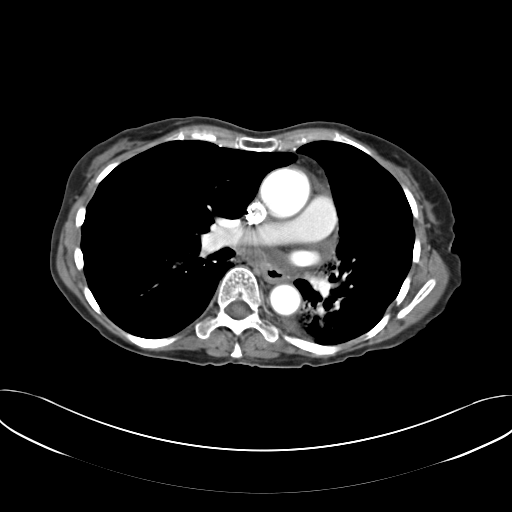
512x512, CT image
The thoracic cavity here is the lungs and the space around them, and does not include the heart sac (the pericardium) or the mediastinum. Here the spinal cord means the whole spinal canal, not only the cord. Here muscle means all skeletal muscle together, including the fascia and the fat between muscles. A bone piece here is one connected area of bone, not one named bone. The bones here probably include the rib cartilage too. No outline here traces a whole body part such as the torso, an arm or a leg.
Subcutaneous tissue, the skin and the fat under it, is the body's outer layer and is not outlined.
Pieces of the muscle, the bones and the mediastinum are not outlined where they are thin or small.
The muscle appears in 4 outlined pieces: piece 1: [[305,128],[331,128],[343,132],[373,148],[382,157],[394,163],[397,169],[403,171],[405,175],[414,182],[419,193],[424,208],[423,212],[424,221],[426,223],[427,240],[431,247],[438,252],[450,272],[447,286],[441,297],[432,309],[419,321],[386,340],[336,355],[333,355],[342,349],[343,343],[356,338],[365,341],[381,331],[391,317],[391,314],[386,311],[388,307],[392,302],[396,306],[400,305],[407,295],[411,283],[411,276],[408,273],[412,263],[417,264],[420,261],[421,254],[421,241],[415,234],[413,225],[414,219],[416,220],[419,217],[418,204],[409,188],[402,183],[400,184],[396,178],[376,160],[377,157],[369,148],[337,130],[315,130],[282,138],[274,136]]; inner edge: [[430,278],[434,278],[436,280],[436,283],[430,292],[422,300],[416,304],[414,307],[407,314],[405,315],[404,317],[402,318],[397,318],[396,317],[397,313],[402,308],[406,306],[412,300],[420,288]]; piece 2: [[199,124],[218,126],[245,135],[233,135],[225,131],[214,131],[210,129],[199,129],[194,127],[181,129],[165,136],[160,140],[153,142],[149,147],[121,162],[119,160],[115,160],[108,163],[95,177],[94,183],[96,187],[88,203],[86,206],[80,205],[75,213],[74,225],[76,228],[80,228],[81,236],[79,245],[74,247],[73,260],[76,268],[79,271],[83,270],[85,276],[87,284],[85,284],[82,287],[82,293],[91,308],[99,315],[105,314],[117,326],[128,342],[110,332],[97,321],[60,278],[55,263],[60,233],[68,217],[72,205],[78,200],[80,195],[83,193],[95,170],[102,164],[123,153],[129,148],[143,144],[147,141],[151,141],[180,127]]; piece 3: [[192,323],[195,335],[202,340],[218,327],[228,328],[236,337],[253,328],[269,343],[281,337],[289,344],[313,353],[317,356],[331,356],[322,358],[284,354],[267,359],[242,357],[237,340],[229,354],[231,357],[217,357],[196,350],[148,350],[173,343],[179,338],[177,333]]; piece 4: [[271,317],[273,318],[273,319],[275,320],[275,321],[277,322],[277,323],[280,326],[281,326],[282,328],[287,330],[287,331],[289,332],[289,333],[287,333],[286,332],[282,332],[282,330],[280,328],[280,327],[278,326],[270,318]]. The mediastinum appears in 2 outlined pieces: piece 1: [[244,215],[241,224],[247,236],[267,254],[269,259],[283,273],[290,275],[317,272],[304,278],[297,278],[293,282],[303,299],[294,314],[272,317],[262,295],[258,280],[253,272],[246,266],[233,266],[231,262],[228,262],[234,254],[230,244],[236,222]]; piece 2: [[294,147],[296,147],[296,151],[298,153],[304,154],[313,158],[324,170],[329,184],[331,196],[337,214],[335,214],[330,192],[326,183],[322,181],[315,172],[304,165],[301,164],[289,165],[293,163],[296,160],[296,157],[293,153],[290,151],[288,151]]. The pericardium is outlined by [[293,165],[301,165],[308,168],[325,183],[334,214],[339,216],[340,219],[337,223],[333,251],[329,259],[321,265],[320,269],[307,273],[287,274],[283,272],[270,259],[268,254],[248,236],[242,221],[248,213],[249,206],[256,199],[266,176],[274,170]]. The bones appear in 10 outlined pieces: piece 1: [[235,266],[246,267],[255,276],[271,314],[269,318],[282,333],[320,345],[341,344],[341,349],[332,355],[317,355],[281,336],[269,342],[253,327],[236,336],[228,327],[218,326],[207,338],[199,338],[194,323],[212,313],[208,307],[218,285],[226,272]]; inner edge: [[237,300],[240,300],[244,302],[248,306],[250,310],[250,312],[246,316],[242,318],[240,318],[239,319],[237,319],[236,318],[234,318],[232,317],[230,315],[229,315],[226,312],[225,310],[226,307],[230,303],[234,301],[236,301]]; piece 2: [[194,128],[214,132],[225,132],[233,136],[250,136],[257,138],[273,136],[278,139],[315,131],[337,131],[369,149],[376,159],[353,145],[327,139],[313,140],[285,151],[246,150],[224,146],[220,142],[216,144],[201,139],[176,139],[152,145],[181,130]]; piece 3: [[119,328],[132,335],[134,335],[138,337],[141,337],[142,338],[147,338],[148,339],[157,339],[158,338],[169,337],[175,334],[178,336],[178,338],[173,342],[167,345],[160,346],[156,348],[141,348],[135,345],[133,343],[130,342],[123,335],[121,330]]; piece 4: [[430,278],[434,278],[436,280],[436,283],[430,292],[422,300],[416,304],[414,307],[407,314],[405,315],[404,317],[402,318],[397,318],[396,317],[397,313],[402,308],[406,306],[412,300],[420,288]]; piece 5: [[386,312],[387,312],[390,314],[390,317],[389,318],[387,323],[381,330],[380,330],[375,335],[374,335],[372,337],[371,337],[368,339],[366,339],[365,340],[362,340],[358,337],[359,337],[361,335],[364,334],[370,329],[371,329],[382,318],[382,317]]; piece 6: [[401,184],[406,186],[408,188],[408,189],[413,195],[416,201],[416,203],[417,204],[417,211],[418,212],[418,217],[416,219],[415,219],[413,217],[413,215],[412,214],[412,211],[411,210],[410,205],[405,195],[405,193],[401,186]]; piece 7: [[408,274],[410,276],[410,283],[409,284],[409,288],[408,289],[408,291],[407,292],[406,295],[400,303],[400,304],[399,304],[398,305],[396,305],[396,304],[394,302],[394,300],[399,292],[399,290],[403,283],[403,281],[405,279],[406,276]]; piece 8: [[85,285],[87,285],[87,286],[89,288],[90,291],[92,293],[92,294],[93,295],[95,300],[99,305],[99,307],[103,313],[102,314],[99,314],[98,313],[97,313],[92,308],[92,307],[89,304],[89,303],[87,301],[87,300],[83,293],[83,287]]; piece 9: [[115,161],[119,161],[120,162],[120,163],[119,164],[118,164],[105,177],[104,177],[103,178],[103,179],[102,179],[101,180],[101,181],[97,185],[95,183],[95,179],[96,178],[96,177],[99,174],[99,173],[108,164],[109,164],[112,162],[114,162]]; piece 10: [[416,236],[417,237],[418,237],[418,238],[419,239],[419,240],[420,241],[420,254],[419,255],[419,261],[417,263],[413,263],[412,262],[412,258],[413,257],[413,247],[414,246],[414,242],[415,241],[415,237]]. The thoracic cavity appears in 2 outlined pieces: piece 1: [[176,140],[201,140],[255,152],[287,151],[295,160],[264,176],[245,214],[236,220],[229,244],[233,254],[227,262],[232,266],[220,279],[205,312],[172,335],[148,338],[122,329],[101,309],[84,272],[81,227],[87,205],[97,186],[118,165],[152,146]]; piece 2: [[319,140],[353,146],[387,170],[404,193],[415,235],[409,270],[381,318],[359,336],[336,344],[320,344],[294,335],[274,319],[296,313],[304,299],[294,282],[314,275],[325,267],[335,254],[340,238],[341,218],[325,170],[313,157],[297,151],[298,147]]. The spinal cord is outlined by [[237,300],[240,300],[244,302],[248,306],[250,310],[250,312],[246,316],[242,318],[240,318],[239,319],[237,319],[236,318],[234,318],[232,317],[230,315],[229,315],[226,312],[225,310],[226,307],[230,303],[234,301],[236,301]].